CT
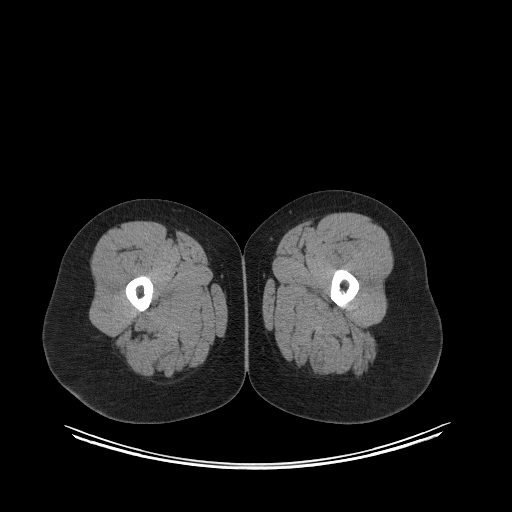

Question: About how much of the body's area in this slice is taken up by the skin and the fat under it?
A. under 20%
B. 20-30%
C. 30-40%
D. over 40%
Answer: D. over 40%
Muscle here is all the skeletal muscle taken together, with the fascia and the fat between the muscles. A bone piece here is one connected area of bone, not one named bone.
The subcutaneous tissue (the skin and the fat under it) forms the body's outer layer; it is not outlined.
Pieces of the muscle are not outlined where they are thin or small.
The bones appear in 2 outlined pieces: piece 1: 341 268; 346 269; 349 272; 350 272; 358 280; 358 282; 360 286; 357 294; 354 297; 354 298; 347 304; 345 308; 341 308; 338 306; 330 297; 330 286; 331 285; 331 280; 332 279; 332 276; 333 275; 334 270; 336 269; 340 269; piece 2: 140 275; 147 275; 149 276; 153 284; 153 293; 152 294; 152 299; 150 302; 150 304; 149 306; 145 310; 143 311; 139 311; 135 307; 134 307; 128 300; 125 294; 125 287; 127 283; 133 278; 137 276; 139 276. The muscle appears in 2 outlined pieces: piece 1: 341 211; 364 214; 384 227; 390 240; 395 263; 385 282; 388 303; 386 315; 375 326; 375 338; 379 355; 367 375; 354 381; 334 377; 319 377; 285 369; 271 346; 262 318; 263 289; 271 270; 277 245; 282 236; 290 228; 304 220 with a hole at 341 268; 346 269; 349 272; 350 272; 358 280; 358 282; 360 286; 357 294; 354 297; 354 298; 347 304; 345 308; 341 308; 338 306; 330 297; 330 286; 331 285; 331 280; 332 279; 332 276; 333 275; 334 270; 336 269; 340 269; piece 2: 134 219; 168 223; 173 228; 182 230; 198 239; 207 255; 209 266; 226 295; 228 320; 220 347; 191 377; 181 383; 157 383; 130 373; 107 338; 91 324; 88 318; 88 310; 94 292; 90 270; 90 258; 94 247; 101 235; 109 228; inner edge: 140 275; 147 275; 149 276; 153 284; 153 293; 152 294; 152 299; 150 302; 150 304; 149 306; 145 310; 143 311; 139 311; 135 307; 134 307; 128 300; 125 294; 125 287; 127 283; 133 278; 137 276; 139 276. The left leg is outlined by 327 189; 350 190; 373 197; 393 209; 406 222; 423 250; 429 288; 442 322; 442 352; 426 390; 407 408; 383 419; 367 423; 330 423; 286 412; 263 399; 251 385; 247 373; 241 250; 244 249; 248 238; 256 228; 282 206; 302 195. The right leg is outlined by 137 198; 159 198; 190 206; 222 225; 234 237; 240 248; 247 374; 243 385; 230 401; 214 410; 166 423; 137 424; 121 422; 107 418; 84 405; 64 388; 50 371; 41 338; 46 308; 62 256; 70 241; 85 223; 101 211; 120 202.